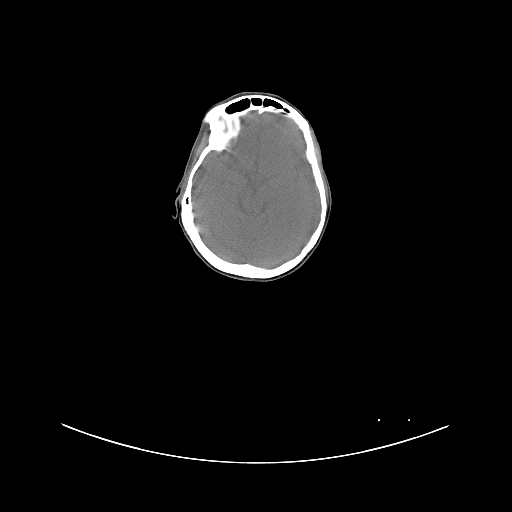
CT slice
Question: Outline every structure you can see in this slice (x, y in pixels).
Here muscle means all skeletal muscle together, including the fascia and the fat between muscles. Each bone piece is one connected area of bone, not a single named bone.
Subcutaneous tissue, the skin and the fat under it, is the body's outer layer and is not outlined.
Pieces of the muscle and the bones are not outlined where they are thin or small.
Answer: muscle 1: 205,124 207,124 208,126 208,130 209,131 207,137 207,143 201,150 196,161 189,171 187,180 186,181 186,184 181,197 181,187 182,186 182,183 191,162 191,160 193,157 194,152 201,139 205,127
muscle 2: 315,142 316,144 316,147 318,151 318,155 319,156 318,157 319,158 319,161 320,162 320,165 321,166 321,169 322,170 322,172 323,173 323,175 324,176 324,178 326,182 326,185 327,186 327,192 328,193 328,202 327,202 327,195 326,194 326,189 325,188 324,179 323,178 323,175 322,174 322,171 321,170 321,168 320,167 319,164 319,159 317,156 317,150 315,146
bones: 244,95 266,95 277,98 295,108 308,121 323,179 327,203 324,225 314,246 289,270 265,278 237,275 213,266 192,242 183,226 180,215 180,200 190,171 208,143 210,131 208,124 203,122 204,115 214,106 with holes at 253,111 258,114 281,114 297,126 302,134 304,157 309,164 319,198 319,218 306,242 294,256 272,267 232,262 219,256 204,242 194,220 192,190 197,170 210,152 220,153 228,149 232,140 240,135 241,118 and at 244,100 247,100 247,101 248,102 248,103 247,104 247,105 245,107 242,107 239,109 235,109 232,111 229,111 228,110 228,109 231,106 232,106 235,104 237,104 238,103 239,103 240,102 241,102
brain: 253,111 258,114 281,114 297,126 302,134 304,157 309,164 319,198 319,218 306,242 294,256 272,267 232,262 219,256 204,242 194,220 192,190 197,170 210,152 220,153 228,149 232,140 240,135 241,118
head: 240,91 275,93 301,110 313,127 319,141 323,163 331,187 331,215 321,244 301,268 291,275 271,282 240,281 212,271 194,254 182,235 177,222 171,217 175,212 175,188 182,176 188,154 206,110 217,101; inner edge: 244,100 247,100 247,101 248,102 248,103 247,104 247,105 245,107 242,107 239,109 235,109 232,111 229,111 228,110 228,109 231,106 232,106 235,104 237,104 238,103 239,103 240,102 241,102